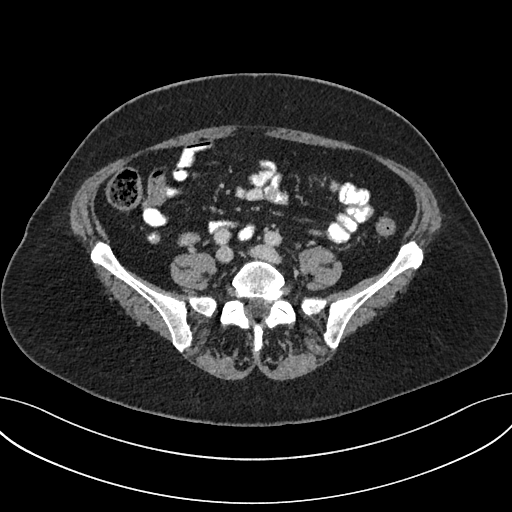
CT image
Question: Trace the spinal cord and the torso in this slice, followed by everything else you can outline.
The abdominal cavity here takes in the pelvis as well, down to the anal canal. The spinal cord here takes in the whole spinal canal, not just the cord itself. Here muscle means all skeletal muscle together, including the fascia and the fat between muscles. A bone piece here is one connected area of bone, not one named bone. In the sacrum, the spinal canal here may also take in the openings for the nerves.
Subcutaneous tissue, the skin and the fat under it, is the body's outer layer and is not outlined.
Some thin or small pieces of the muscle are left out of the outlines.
Answer: {"spinal_cord":[[[256,298],[259,298],[260,299],[262,299],[267,304],[269,305],[268,306],[268,311],[267,312],[267,314],[260,320],[256,320],[250,317],[248,315],[247,313],[247,311],[246,310],[246,305],[248,303],[248,302],[250,300],[252,300]]],"torso":[[[236,72],[291,73],[335,82],[381,101],[423,134],[478,220],[501,269],[507,317],[497,344],[482,361],[441,381],[343,415],[236,426],[174,419],[108,401],[43,370],[20,351],[0,307],[3,277],[30,216],[79,143],[104,116],[143,92],[190,78]]],"muscle":[[[409,269],[418,270],[398,297],[346,338],[331,359],[304,375],[274,380],[256,368],[242,379],[226,380],[191,364],[180,353],[193,342],[187,304],[210,318],[220,306],[212,294],[223,293],[229,287],[229,297],[219,308],[219,322],[251,330],[251,351],[257,355],[263,347],[265,328],[292,325],[296,321],[287,285],[292,292],[303,295],[298,306],[306,316],[316,315],[328,305],[321,336],[326,346],[335,350],[354,313]],[[228,124],[266,125],[314,133],[370,150],[418,174],[431,188],[441,213],[441,226],[425,258],[423,248],[414,238],[402,243],[418,210],[414,190],[403,178],[365,153],[273,137],[253,129],[217,139],[150,150],[122,165],[98,186],[94,211],[109,243],[97,239],[89,251],[93,264],[101,266],[132,288],[159,314],[169,332],[171,344],[137,323],[107,291],[72,232],[69,210],[74,194],[87,177],[110,162],[180,134]],[[201,252],[205,252],[213,258],[215,262],[215,271],[205,289],[203,289],[200,293],[196,295],[188,295],[186,301],[159,292],[149,287],[136,278],[129,271],[164,290],[187,294],[188,293],[178,287],[172,279],[170,274],[170,264],[177,255],[196,254]],[[316,246],[322,246],[331,251],[335,255],[335,257],[341,262],[342,265],[342,272],[337,281],[332,285],[324,289],[310,290],[308,289],[308,285],[307,284],[308,283],[308,277],[302,273],[300,270],[299,262],[298,261],[298,254],[305,249],[315,247]],[[388,266],[386,270],[381,275],[381,276],[380,276],[372,283],[366,286],[363,289],[355,293],[353,293],[348,296],[338,297],[329,303],[329,298],[326,296],[327,295],[335,291],[346,290],[361,280],[378,274]]],"bones":[{"outer":[[253,260],[267,262],[283,275],[285,287],[288,290],[287,297],[295,310],[294,323],[264,328],[262,347],[257,354],[252,351],[253,332],[251,329],[241,328],[234,324],[223,325],[220,322],[220,308],[222,303],[230,297],[228,289],[233,276],[244,263]],"hole":[[256,298],[259,298],[260,299],[262,299],[267,304],[269,305],[268,306],[268,311],[267,312],[267,314],[260,320],[256,320],[250,317],[248,315],[247,313],[247,311],[246,310],[246,305],[248,303],[248,302],[250,300],[252,300]]},[[97,240],[108,243],[118,261],[127,271],[159,293],[186,302],[188,296],[210,295],[217,299],[219,306],[210,317],[195,311],[186,304],[186,319],[192,333],[192,342],[189,347],[179,352],[172,344],[170,332],[157,310],[124,281],[91,261],[90,251]],[[411,239],[414,239],[423,250],[421,265],[398,274],[369,297],[349,319],[337,347],[328,347],[322,335],[326,329],[329,305],[316,314],[306,315],[299,306],[300,300],[304,296],[327,297],[329,304],[338,298],[348,297],[363,290],[382,276],[401,245]]],"abdominal_cavity":[{"outer":[[252,130],[357,151],[403,179],[413,190],[417,210],[389,265],[325,296],[292,291],[284,275],[260,259],[244,262],[225,291],[197,295],[216,271],[205,251],[177,254],[169,264],[171,279],[187,293],[164,289],[126,268],[95,211],[104,180],[150,151]],"hole":[[316,246],[322,246],[331,251],[335,255],[335,257],[341,262],[342,265],[342,272],[337,281],[332,285],[324,289],[310,290],[308,289],[308,285],[307,284],[308,283],[308,277],[302,273],[300,270],[299,262],[298,261],[298,254],[305,249],[315,247]]}]}